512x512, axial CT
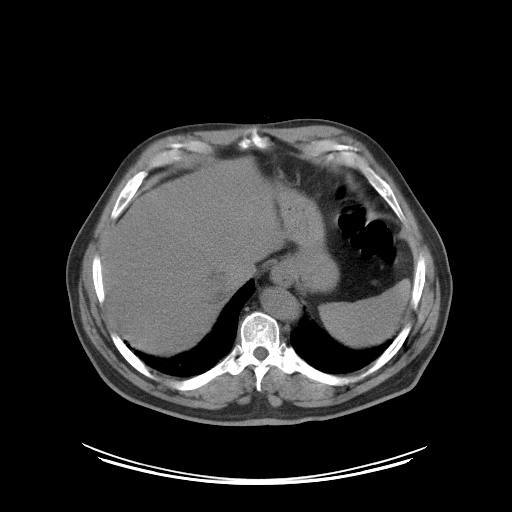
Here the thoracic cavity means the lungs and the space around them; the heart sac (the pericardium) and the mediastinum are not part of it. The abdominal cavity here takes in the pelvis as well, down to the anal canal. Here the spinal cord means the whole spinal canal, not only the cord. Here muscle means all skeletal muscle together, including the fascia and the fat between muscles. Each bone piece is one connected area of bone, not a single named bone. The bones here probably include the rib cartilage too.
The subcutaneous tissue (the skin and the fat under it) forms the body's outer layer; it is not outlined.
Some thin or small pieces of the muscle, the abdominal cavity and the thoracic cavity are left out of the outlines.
{"torso":[[[294,118],[338,121],[375,139],[393,160],[442,239],[452,276],[452,298],[442,338],[419,380],[409,391],[359,411],[291,425],[205,424],[174,417],[125,399],[97,373],[71,319],[65,267],[71,244],[86,217],[124,157],[156,132],[191,123],[266,123]]],"spinal_cord":[[[257,347],[263,347],[264,348],[265,348],[266,349],[266,350],[267,351],[267,355],[263,359],[262,359],[261,360],[260,359],[258,359],[254,355],[254,350]]],"thoracic_cavity":[[[249,280],[253,280],[254,289],[243,303],[238,314],[237,335],[239,341],[234,343],[230,351],[223,358],[205,371],[183,379],[161,373],[146,365],[125,343],[125,341],[127,342],[134,350],[156,358],[167,359],[190,350],[212,330],[226,304],[232,296]],[[303,316],[305,316],[310,321],[313,322],[336,343],[350,350],[363,350],[369,348],[374,348],[383,344],[392,338],[393,339],[389,345],[371,363],[356,371],[346,374],[334,374],[325,372],[309,364],[285,340],[287,341],[289,339],[291,332],[296,327]]],"abdominal_cavity":[[[266,135],[356,168],[372,206],[401,222],[415,262],[402,327],[377,346],[350,349],[303,315],[294,293],[265,273],[231,296],[190,349],[167,358],[134,349],[104,303],[100,257],[108,230],[139,188],[170,168],[164,166],[230,145],[264,150]]],"bones":[{"outer":[[253,311],[274,318],[281,339],[309,365],[349,377],[364,372],[408,322],[411,328],[386,363],[347,384],[329,385],[271,365],[257,391],[254,366],[249,364],[236,375],[225,372],[195,389],[178,390],[171,381],[201,374],[231,351],[240,341],[240,322]],"hole":[[257,347],[263,347],[264,348],[265,348],[266,349],[266,350],[267,351],[267,355],[263,359],[262,359],[261,360],[260,359],[258,359],[254,355],[254,350]]},[[323,139],[335,139],[340,143],[352,145],[357,148],[357,153],[364,158],[392,189],[405,217],[405,222],[402,222],[398,218],[359,169],[334,161],[327,162],[324,159],[324,156],[327,154],[326,152],[320,152],[314,155],[304,150],[305,146],[310,142]],[[187,140],[202,141],[211,146],[212,151],[200,153],[184,150],[184,157],[182,159],[151,169],[126,207],[116,219],[112,219],[110,216],[112,209],[120,191],[126,182],[136,173],[143,170],[154,155],[160,151],[167,149],[169,147],[169,143],[183,142]],[[110,332],[114,332],[116,333],[123,340],[124,343],[133,352],[133,353],[136,356],[137,356],[145,364],[146,366],[148,367],[148,369],[150,372],[156,377],[155,379],[152,379],[139,372],[123,357],[123,356],[119,352],[115,346],[110,336]],[[420,253],[422,253],[425,258],[425,280],[424,281],[423,288],[421,292],[421,296],[419,299],[417,307],[416,309],[414,309],[411,306],[410,301],[412,297],[412,291],[413,290],[413,285],[414,284],[415,267],[416,266],[418,256]],[[252,127],[255,127],[257,129],[257,132],[260,136],[263,136],[264,137],[265,136],[267,137],[269,144],[266,148],[264,149],[261,149],[256,147],[254,145],[252,145],[246,149],[242,149],[238,145],[238,142],[244,135],[244,130],[248,128],[251,128]],[[96,254],[97,254],[100,258],[100,264],[101,265],[101,279],[102,280],[102,284],[103,285],[103,291],[104,292],[104,300],[102,304],[101,304],[98,300],[98,298],[95,291],[95,288],[93,284],[93,278],[92,277],[92,262],[93,261],[93,258]]],"mediastinum":[[[265,274],[268,280],[273,285],[292,292],[301,310],[302,317],[290,332],[287,340],[281,337],[281,328],[278,321],[274,317],[263,311],[253,310],[246,314],[239,323],[240,311],[244,303],[253,293],[255,289],[254,280],[260,278]],[[365,178],[368,182],[368,183],[373,188],[373,189],[383,199],[383,200],[388,205],[388,206],[394,213],[392,213],[391,214],[389,214],[388,213],[381,213],[379,212],[373,206],[366,192],[366,188],[365,187],[365,183],[364,182],[364,180]],[[160,167],[168,167],[169,168],[168,168],[167,169],[166,169],[165,170],[156,174],[148,182],[147,182],[142,187],[140,187],[140,186],[143,183],[144,180],[148,176],[148,175],[149,174],[149,172],[151,170],[153,170],[156,168],[159,168]]],"muscle":[[[309,125],[336,127],[362,142],[392,176],[413,212],[433,258],[440,289],[437,325],[427,345],[409,363],[381,383],[348,400],[327,406],[303,407],[290,401],[273,406],[265,396],[254,395],[245,404],[232,402],[222,408],[207,409],[168,401],[133,384],[106,360],[83,328],[78,293],[82,260],[110,195],[142,151],[160,138],[200,130],[252,126],[243,130],[236,144],[213,149],[202,140],[187,139],[169,142],[167,148],[154,154],[119,191],[109,215],[114,221],[105,234],[101,255],[96,253],[92,258],[94,291],[98,302],[105,305],[117,332],[110,331],[109,336],[122,357],[152,380],[157,377],[149,368],[178,379],[169,382],[178,391],[195,390],[225,373],[236,376],[252,365],[255,390],[260,392],[262,379],[271,366],[284,374],[298,372],[312,381],[343,386],[377,371],[401,348],[412,328],[411,321],[404,325],[410,307],[416,310],[422,296],[426,258],[420,252],[415,261],[402,226],[406,217],[393,189],[358,153],[356,146],[335,138],[323,138],[314,139],[299,148],[275,136],[259,134],[256,127]],[[367,366],[368,366],[367,367],[367,368],[364,371],[361,372],[359,374],[357,374],[356,375],[353,375],[352,376],[349,376],[348,375],[340,375],[346,375],[347,374],[350,374],[351,373],[353,373],[354,372],[356,372],[357,371],[358,371]]]}